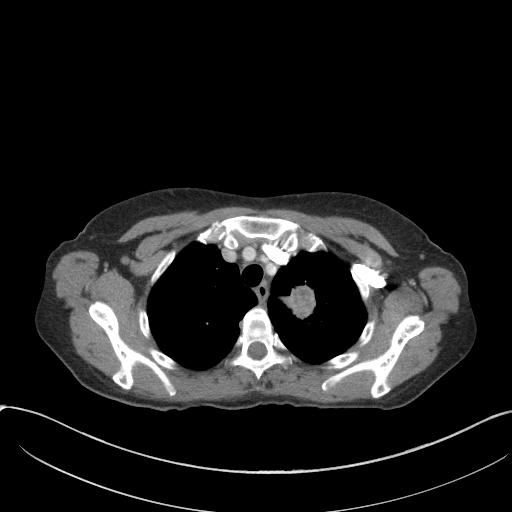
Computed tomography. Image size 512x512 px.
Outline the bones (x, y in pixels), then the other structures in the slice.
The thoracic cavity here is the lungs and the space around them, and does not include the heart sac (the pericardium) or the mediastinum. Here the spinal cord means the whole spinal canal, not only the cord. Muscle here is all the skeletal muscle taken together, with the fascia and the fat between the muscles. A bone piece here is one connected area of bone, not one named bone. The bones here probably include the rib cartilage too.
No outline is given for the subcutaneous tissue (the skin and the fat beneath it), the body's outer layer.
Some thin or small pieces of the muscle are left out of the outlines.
The bones appear in 8 outlined pieces: piece 1: 239,215 261,215 295,222 305,232 312,232 318,236 325,243 327,250 309,252 299,247 292,251 284,247 279,240 248,238 239,233 235,234 237,246 230,247 221,240 216,243 201,243 195,240 196,237 212,222; piece 2: 411,314 423,320 424,328 404,345 388,374 391,389 387,393 372,398 370,387 375,378 370,370 349,374 327,391 322,389 328,377 343,369 329,369 322,363 355,349 359,351 358,361 377,357 390,346 400,321; piece 3: 97,300 112,308 119,335 131,348 145,355 147,348 153,347 179,364 175,369 162,369 176,391 174,395 169,395 158,376 141,363 132,369 134,382 130,389 114,382 111,377 120,367 120,361 107,334 88,312; piece 4: 257,305 266,310 273,329 277,333 281,341 288,350 299,359 290,364 286,369 278,363 272,365 263,372 259,380 256,379 254,373 251,370 240,365 231,366 224,361 224,359 232,350 241,332 241,320 250,309; inner edge: 255,342 259,342 260,343 261,343 265,347 265,354 261,358 260,358 259,359 256,359 255,358 253,358 251,356 250,356 249,355 249,354 248,353 248,348 249,347 249,346 252,343 254,343; piece 5: 171,249 174,249 176,251 176,254 173,260 167,267 167,268 164,271 164,272 158,278 158,279 155,282 155,283 152,286 151,286 150,285 150,278 152,274 156,269 159,262 163,258 163,257 167,253 167,252; piece 6: 372,319 375,319 375,326 374,327 374,330 373,331 373,333 371,336 371,338 366,344 365,344 362,346 358,346 356,344 356,342 357,341 360,334 362,332 362,331 363,330 367,321 368,321 369,320 371,320; piece 7: 140,307 144,309 146,311 146,313 147,314 148,323 149,324 149,327 150,328 150,331 151,332 151,335 152,336 152,338 150,339 144,336 144,335 140,330 140,328 139,327 139,323 138,322 138,309; piece 8: 350,269 351,269 356,274 357,274 360,278 361,278 361,279 364,282 364,283 368,288 368,292 369,294 368,295 368,297 367,298 367,300 365,304 363,302 361,298 359,290 352,277. The spinal cord is outlined by 255,342 259,342 260,343 261,343 265,347 265,354 261,358 260,358 259,359 256,359 255,358 253,358 251,356 250,356 249,355 249,354 248,353 248,348 249,347 249,346 252,343 254,343. The mediastinum is outlined by 236,236 241,239 264,238 279,241 284,248 292,252 299,248 303,249 277,271 271,282 266,309 257,304 258,299 254,292 242,283 238,266 233,262 225,261 216,245 221,241 230,248 237,247 239,242. The muscle appears in 2 outlined pieces: piece 1: 224,206 352,217 379,230 399,254 389,257 392,276 415,278 428,266 451,270 461,289 459,307 442,328 435,359 392,389 389,374 408,341 424,330 424,320 416,313 404,316 382,353 358,360 357,348 347,350 366,345 376,326 375,318 368,320 365,305 370,293 362,278 299,223 239,214 212,221 194,241 177,253 171,248 158,262 149,278 146,308 137,309 139,330 158,348 148,346 145,354 126,343 113,308 97,299 87,312 106,334 119,367 110,379 86,362 74,350 68,311 55,292 52,274 61,256 87,250 116,262 132,254 131,242 116,240 136,222; piece 2: 222,360 231,367 240,366 251,371 257,381 272,366 278,364 286,370 299,360 322,364 323,368 329,370 342,369 321,383 324,392 349,375 370,371 374,378 369,387 371,398 319,402 290,395 263,395 257,392 230,400 186,402 140,397 120,389 130,390 133,387 133,369 137,364 149,368 171,397 177,391 163,369 175,370 180,365 192,370 205,370. The thoracic cavity appears in 2 outlined pieces: piece 1: 195,241 204,245 215,244 222,259 225,262 233,263 237,266 241,283 251,290 257,299 256,305 250,308 240,320 240,332 231,350 215,365 205,369 185,367 160,350 152,335 146,310 151,288 172,263 176,255; piece 2: 302,250 309,253 319,251 331,252 347,264 351,277 365,306 367,315 367,320 355,343 346,351 321,363 309,363 300,359 291,352 274,329 267,311 268,298 271,293 271,286 275,276 281,267 287,265 290,260. The torso is outlined by 178,186 248,196 343,191 391,206 462,264 477,324 473,346 416,399 387,410 268,404 233,410 194,407 160,411 128,405 86,389 35,328 34,313 43,286 46,260 62,241 75,237 94,215 108,206 144,192.